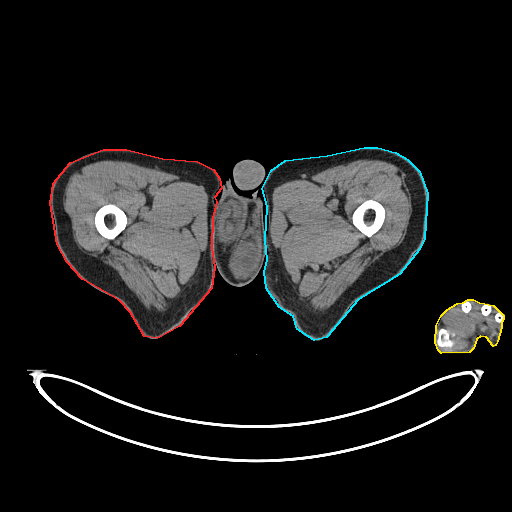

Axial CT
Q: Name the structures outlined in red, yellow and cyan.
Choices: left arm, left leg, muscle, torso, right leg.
A: red: right leg; yellow: left arm; cyan: left leg.
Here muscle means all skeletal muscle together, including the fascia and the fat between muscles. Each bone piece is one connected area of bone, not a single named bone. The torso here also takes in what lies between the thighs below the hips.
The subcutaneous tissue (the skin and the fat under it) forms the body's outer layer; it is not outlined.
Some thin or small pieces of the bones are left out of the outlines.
The right leg is outlined by [[103,149],[126,149],[162,158],[197,161],[213,169],[219,178],[221,188],[214,197],[216,201],[212,218],[211,247],[214,267],[211,288],[179,326],[157,338],[144,336],[130,312],[119,300],[82,279],[67,262],[57,244],[50,203],[53,183],[70,162]]. The left arm is outlined by [[468,299],[473,299],[479,302],[493,305],[503,315],[503,319],[501,322],[501,327],[497,341],[495,345],[493,346],[486,337],[480,336],[476,339],[473,348],[469,352],[441,353],[438,350],[435,342],[436,325],[441,315],[447,309],[457,303],[463,302]]. The left leg is outlined by [[364,147],[377,147],[395,152],[407,159],[419,171],[427,193],[424,238],[419,249],[399,274],[358,299],[326,337],[314,340],[297,329],[293,316],[279,307],[266,288],[264,271],[267,260],[265,239],[267,206],[262,188],[271,170],[285,160],[327,155]]. The bones appear in 5 outlined pieces: piece 1: [[367,199],[373,199],[379,202],[384,207],[384,209],[385,210],[385,218],[384,219],[384,221],[381,227],[375,233],[374,233],[371,236],[369,237],[366,236],[363,233],[362,233],[353,224],[352,222],[352,214],[354,210],[362,202],[363,202]]; piece 2: [[108,203],[112,203],[118,206],[122,210],[123,210],[127,217],[127,223],[126,224],[125,228],[113,239],[108,239],[102,236],[98,232],[95,226],[95,224],[94,223],[94,217],[95,216],[95,213],[96,211],[101,206],[105,204],[107,204]]; piece 3: [[441,328],[444,328],[445,329],[446,329],[451,334],[451,335],[450,336],[450,338],[453,341],[453,342],[454,343],[453,344],[453,345],[452,346],[452,347],[451,347],[450,348],[449,348],[448,347],[440,347],[437,344],[437,334],[438,333],[438,331]]; piece 4: [[466,300],[467,300],[470,303],[470,304],[471,305],[471,308],[470,309],[470,310],[467,313],[466,313],[465,312],[464,312],[462,310],[462,309],[461,308],[461,304],[462,303],[462,302],[463,302],[464,301],[465,301]]; piece 5: [[484,304],[489,304],[491,306],[491,310],[490,311],[490,312],[487,315],[483,315],[482,314],[482,313],[481,312],[481,307],[482,306],[482,305],[483,305]]. The muscle appears in 3 outlined pieces: piece 1: [[98,159],[136,162],[180,173],[199,182],[207,193],[208,239],[206,254],[190,285],[174,301],[172,305],[161,314],[154,314],[147,310],[113,268],[97,258],[86,254],[79,248],[74,240],[71,220],[64,210],[62,197],[69,177],[84,165]] with a hole at [[108,203],[112,203],[118,206],[122,210],[123,210],[127,217],[127,223],[126,224],[125,228],[113,239],[108,239],[102,236],[98,232],[95,226],[95,224],[94,223],[94,217],[95,216],[95,213],[96,211],[101,206],[105,204],[107,204]]; piece 2: [[357,159],[378,159],[390,162],[405,174],[404,180],[411,198],[411,214],[407,230],[399,245],[387,251],[368,266],[325,312],[315,314],[299,300],[292,289],[272,242],[270,235],[272,193],[275,187],[287,181],[303,179],[332,166],[346,164]]; inner edge: [[367,199],[373,199],[379,202],[384,207],[384,209],[385,210],[385,218],[384,219],[384,221],[381,227],[375,233],[374,233],[371,236],[369,237],[366,236],[363,233],[362,233],[353,224],[352,222],[352,214],[354,210],[362,202],[363,202]]; piece 3: [[471,303],[481,305],[480,312],[483,316],[487,316],[492,309],[496,312],[494,320],[501,322],[498,337],[486,331],[476,330],[468,338],[466,347],[462,349],[444,349],[442,348],[450,349],[451,348],[453,347],[455,343],[451,338],[452,334],[443,327],[445,316],[460,306],[467,314],[472,308]]. The torso is outlined by [[242,159],[258,160],[264,168],[265,179],[262,187],[261,183],[258,186],[257,193],[262,200],[266,260],[263,262],[257,275],[249,283],[243,286],[234,286],[224,280],[214,265],[212,247],[213,218],[215,204],[221,194],[221,184],[232,178],[234,165]]; inner edge: [[233,182],[236,186],[236,187],[240,190],[242,190],[243,191],[248,191],[249,190],[252,190],[252,192],[251,193],[251,194],[249,196],[248,196],[247,195],[244,195],[243,194],[240,194],[239,193],[238,193],[234,189],[234,188],[233,187]].